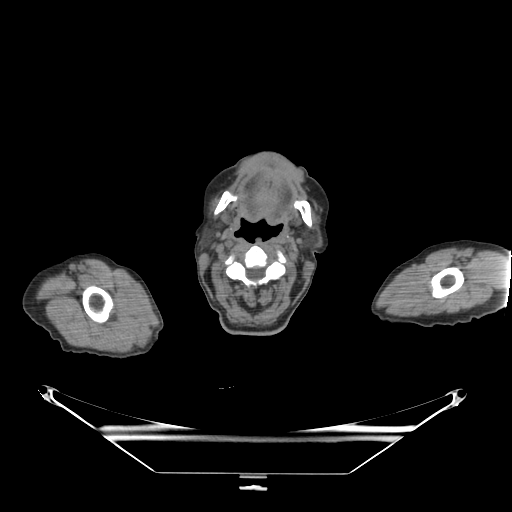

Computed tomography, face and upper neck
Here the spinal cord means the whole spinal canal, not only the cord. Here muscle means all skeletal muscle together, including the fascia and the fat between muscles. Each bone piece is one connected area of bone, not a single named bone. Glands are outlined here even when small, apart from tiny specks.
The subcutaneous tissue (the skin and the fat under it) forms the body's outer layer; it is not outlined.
{"head_and_neck":[{"outer":[[264,149],[281,152],[302,165],[323,187],[329,200],[326,221],[329,243],[325,251],[315,256],[317,266],[309,290],[285,328],[269,336],[233,335],[222,328],[217,313],[209,306],[199,285],[193,251],[194,231],[202,221],[203,194],[208,182],[240,158]],"hole":[[242,220],[245,220],[247,222],[249,222],[252,224],[255,224],[260,221],[263,221],[269,226],[274,227],[280,225],[281,228],[275,235],[272,235],[267,239],[262,239],[259,236],[256,237],[253,241],[249,241],[242,236],[236,235],[236,232],[241,227]]}],"right_arm":[[[85,252],[101,253],[118,264],[133,269],[148,286],[163,318],[163,328],[158,335],[157,341],[148,352],[123,359],[87,353],[65,352],[61,349],[56,340],[53,340],[42,327],[32,321],[24,312],[21,304],[22,294],[31,278],[39,270],[74,254]]],"spinal_cord":[[[254,267],[265,267],[265,270],[264,271],[264,275],[262,277],[261,277],[260,278],[259,278],[258,279],[257,279],[256,280],[253,280],[252,279],[250,279],[246,275],[246,269],[247,268],[253,268]]],"muscle":[{"outer":[[262,153],[270,153],[280,156],[301,170],[319,200],[322,207],[322,213],[323,214],[320,222],[320,233],[316,228],[314,228],[304,240],[303,244],[311,250],[310,254],[313,265],[308,282],[301,294],[295,302],[284,312],[273,325],[264,327],[244,327],[232,324],[227,319],[222,310],[212,299],[201,277],[198,260],[200,250],[201,251],[204,250],[214,239],[214,228],[210,223],[208,223],[208,204],[217,186],[243,162]],"holes":[[[254,244],[262,248],[270,257],[273,258],[276,255],[276,250],[280,250],[286,259],[284,263],[284,274],[279,278],[270,280],[266,284],[257,288],[248,287],[240,280],[231,279],[225,272],[225,260],[231,254],[234,254],[237,258],[239,258]],[[242,220],[245,220],[247,222],[249,222],[252,224],[255,224],[260,221],[263,221],[269,226],[274,227],[280,225],[281,228],[275,235],[272,235],[267,239],[262,239],[259,236],[256,237],[253,241],[249,241],[242,236],[236,235],[236,232],[241,227]],[[297,199],[305,199],[309,202],[310,204],[310,207],[311,208],[311,221],[312,222],[312,225],[311,227],[308,227],[306,225],[306,224],[304,222],[301,216],[301,214],[300,212],[294,207],[293,205],[293,203],[294,201]],[[225,190],[228,190],[230,191],[233,194],[235,194],[237,195],[237,199],[234,201],[232,201],[230,202],[223,210],[222,210],[218,214],[216,215],[214,215],[213,214],[213,212],[220,199],[220,197],[222,193]]]},{"outer":[[82,258],[96,258],[108,264],[123,268],[142,286],[149,298],[153,310],[158,319],[158,325],[156,329],[144,346],[129,352],[112,352],[89,347],[72,346],[66,342],[45,315],[44,311],[34,298],[38,286],[42,280],[47,276],[61,270],[72,261]],"hole":[[90,285],[95,285],[104,289],[107,292],[108,292],[113,301],[113,307],[110,312],[109,317],[106,321],[102,323],[96,322],[92,319],[91,319],[88,316],[88,315],[84,310],[84,308],[82,305],[82,301],[81,300],[82,292],[86,287]]},{"outer":[[470,246],[480,249],[496,250],[511,260],[510,274],[511,275],[509,285],[484,304],[453,314],[446,313],[431,316],[423,315],[416,317],[395,316],[388,314],[376,307],[375,305],[376,300],[380,293],[393,277],[403,269],[410,266],[433,251],[448,247]],"hole":[[450,266],[456,266],[458,267],[462,271],[463,275],[464,276],[464,281],[462,285],[457,290],[448,294],[444,297],[442,297],[441,298],[435,298],[433,297],[431,294],[431,288],[430,287],[430,280],[432,276],[442,269],[446,267],[449,267]]}],"left_arm":[[[457,239],[473,239],[493,242],[500,244],[511,251],[511,275],[508,303],[505,307],[481,318],[474,318],[467,323],[435,325],[432,327],[423,327],[412,323],[388,323],[381,321],[371,313],[370,304],[374,294],[386,276],[396,266],[411,258],[429,245]]],"bones":[{"outer":[[254,244],[262,248],[270,257],[273,258],[276,255],[276,250],[280,250],[286,259],[284,263],[284,274],[279,278],[270,280],[266,284],[257,288],[248,287],[240,280],[231,279],[225,272],[225,260],[231,254],[234,254],[237,258],[239,258]],"hole":[[254,267],[265,267],[265,270],[264,271],[264,275],[262,277],[261,277],[260,278],[259,278],[258,279],[257,279],[256,280],[253,280],[252,279],[250,279],[246,275],[246,269],[247,268],[253,268]]},[[90,285],[95,285],[104,289],[107,292],[108,292],[113,301],[113,307],[110,312],[109,317],[106,321],[102,323],[96,322],[92,319],[91,319],[88,316],[88,315],[84,310],[84,308],[82,305],[82,301],[81,300],[82,292],[86,287]],[[450,266],[456,266],[458,267],[462,271],[463,275],[464,276],[464,281],[462,285],[457,290],[448,294],[444,297],[442,297],[441,298],[435,298],[433,297],[431,294],[431,288],[430,287],[430,280],[432,276],[442,269],[446,267],[449,267]],[[297,199],[305,199],[309,202],[310,204],[310,207],[311,208],[311,221],[312,222],[312,225],[311,227],[308,227],[306,225],[306,224],[304,222],[301,216],[301,214],[300,212],[294,207],[293,205],[293,203],[294,201]],[[225,190],[228,190],[230,191],[233,194],[235,194],[237,195],[237,199],[234,201],[232,201],[230,202],[223,210],[222,210],[218,214],[216,215],[214,215],[213,214],[213,212],[220,199],[220,197],[222,193]]],"parotid_glands":[[[206,224],[210,224],[211,225],[211,226],[213,228],[213,239],[207,245],[207,246],[204,249],[201,250],[200,249],[199,249],[199,244],[200,243],[200,239],[201,238],[201,235],[202,234],[202,231],[204,229],[204,228],[205,227]],[[314,229],[316,229],[319,232],[319,233],[320,234],[321,234],[321,237],[322,238],[322,245],[319,247],[316,247],[315,248],[315,249],[310,249],[310,248],[309,247],[308,247],[304,244],[305,243],[305,240],[306,239],[306,238],[313,231],[313,230]]]}